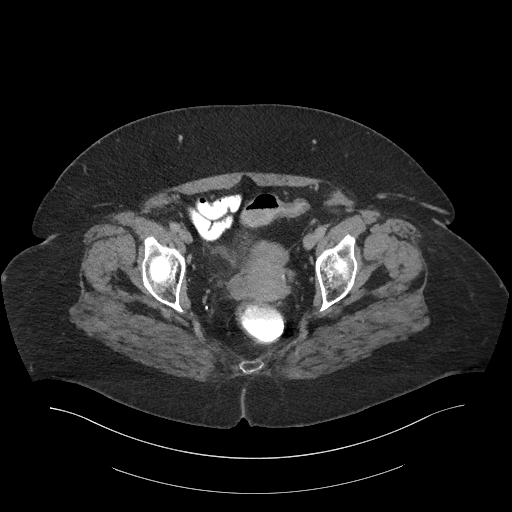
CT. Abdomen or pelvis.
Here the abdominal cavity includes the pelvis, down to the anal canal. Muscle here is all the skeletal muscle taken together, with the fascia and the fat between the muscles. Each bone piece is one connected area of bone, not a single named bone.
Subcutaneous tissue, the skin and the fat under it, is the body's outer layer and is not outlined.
{"torso":[[[248,103],[301,105],[356,120],[404,149],[442,188],[455,211],[448,228],[490,263],[508,291],[481,372],[446,376],[316,424],[250,426],[242,418],[227,429],[159,417],[76,383],[32,379],[1,277],[11,258],[42,240],[32,220],[61,172],[135,119]]],"bones":[[[149,235],[152,235],[162,245],[174,247],[178,249],[185,257],[185,274],[182,280],[179,291],[179,304],[183,310],[183,312],[181,313],[178,312],[172,307],[157,300],[150,294],[143,284],[142,274],[140,268],[141,262],[144,257],[143,240],[144,238]],[[348,233],[352,235],[356,240],[354,245],[354,255],[358,264],[358,270],[355,276],[354,283],[349,292],[343,298],[320,312],[319,309],[322,304],[322,297],[319,282],[316,278],[315,273],[315,260],[316,257],[324,249],[333,247]],[[241,361],[247,361],[248,362],[252,362],[251,363],[254,365],[257,365],[259,364],[260,362],[263,362],[264,365],[263,367],[259,370],[257,370],[253,372],[243,372],[241,371],[238,368],[238,364],[239,362]]],"abdominal_cavity":[[[243,176],[249,177],[258,186],[328,185],[333,190],[323,209],[343,216],[317,244],[311,309],[302,314],[293,335],[266,345],[254,356],[245,355],[206,331],[192,310],[186,276],[185,244],[179,235],[157,218],[164,210],[175,205],[183,194],[228,189]]],"muscle":[{"outer":[[234,171],[333,180],[361,202],[421,225],[419,246],[427,264],[423,295],[429,324],[406,339],[379,347],[369,356],[335,373],[304,381],[250,376],[213,383],[168,374],[134,361],[76,327],[69,319],[68,309],[80,294],[82,239],[92,225],[164,187]],"holes":[[[243,176],[258,186],[331,187],[323,209],[343,217],[315,254],[348,233],[358,264],[349,292],[320,312],[316,278],[297,331],[254,356],[206,331],[185,274],[181,313],[150,294],[140,268],[149,235],[186,256],[182,238],[157,218],[164,210]],[[241,361],[247,361],[248,362],[252,362],[251,363],[254,365],[257,365],[259,364],[260,362],[263,362],[264,365],[263,367],[259,370],[257,370],[253,372],[243,372],[241,371],[238,368],[238,364],[239,362]]]}]}